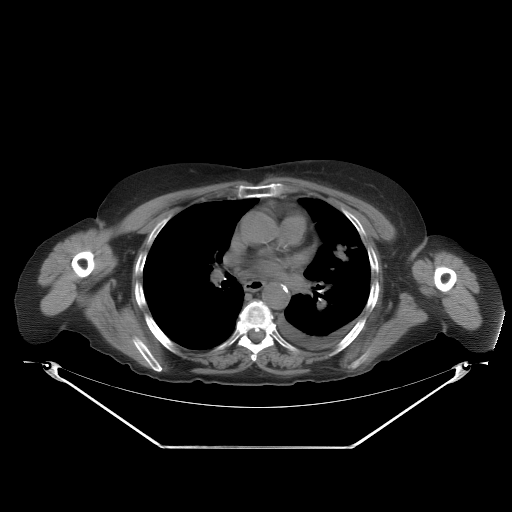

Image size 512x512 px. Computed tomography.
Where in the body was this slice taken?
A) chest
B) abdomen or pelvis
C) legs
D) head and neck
A) chest
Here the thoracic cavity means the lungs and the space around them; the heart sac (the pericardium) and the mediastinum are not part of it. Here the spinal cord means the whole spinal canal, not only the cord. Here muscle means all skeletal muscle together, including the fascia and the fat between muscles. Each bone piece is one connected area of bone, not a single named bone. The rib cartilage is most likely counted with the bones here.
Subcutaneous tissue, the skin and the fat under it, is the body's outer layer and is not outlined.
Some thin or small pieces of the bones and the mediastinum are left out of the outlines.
Outlined structures:
left arm: 427 232; 428 234; 441 234; 454 239; 468 251; 482 258; 490 266; 493 271; 501 290; 503 303; 504 304; 504 312; 494 346; 491 350; 482 353; 476 353; 468 350; 456 339; 448 337; 442 333; 418 304; 405 273; 405 270; 414 257
spinal cord: 251 329; 253 329; 256 332; 258 332; 260 330; 262 330; 264 332; 264 336; 263 337; 263 338; 261 340; 260 340; 259 341; 258 341; 257 342; 255 342; 254 341; 253 341; 248 336; 248 333; 249 332; 249 331
torso: 320 158; 345 160; 383 173; 414 200; 426 233; 404 273; 417 304; 441 332; 433 340; 363 374; 340 380; 225 385; 199 380; 167 382; 135 373; 128 365; 92 348; 79 333; 67 330; 117 255; 94 216; 120 179; 173 162; 248 168
mediastinum 1: 229 247; 227 252; 229 260; 235 269; 242 274; 266 278; 289 278; 297 276; 303 271; 301 279; 297 282; 298 291; 290 298; 283 315; 278 315; 274 319; 270 308; 261 299; 253 299; 243 306; 243 287; 230 270; 226 259; 226 252
mediastinum 2: 282 194; 301 194; 302 195; 309 196; 303 196; 298 200; 298 202; 305 209; 293 203; 275 203; 274 202; 270 202; 269 203; 264 203; 263 204; 260 204; 254 207; 252 207; 258 202; 259 200; 258 198; 265 198; 266 197; 278 197
pericardium: 270 203; 293 204; 298 206; 305 210; 311 218; 311 220; 313 221; 315 231; 317 233; 320 243; 311 261; 301 273; 297 275; 289 277; 266 277; 261 275; 242 273; 236 269; 236 267; 232 263; 228 255; 232 236; 242 216; 252 208
thoracic cavity 1: 247 198; 257 198; 258 200; 236 223; 229 246; 225 252; 229 270; 243 291; 242 307; 237 315; 234 329; 225 340; 211 348; 194 349; 182 346; 173 341; 161 329; 148 307; 143 288; 143 271; 148 252; 168 221; 187 207; 209 200
thoracic cavity 2: 303 197; 321 199; 339 210; 347 218; 366 249; 370 268; 368 296; 356 322; 335 345; 317 350; 297 347; 286 340; 274 321; 278 316; 284 315; 291 298; 298 293; 298 282; 302 279; 304 271; 314 258; 321 243; 316 223; 299 202
bones 1: 253 300; 261 300; 269 308; 280 335; 286 341; 295 346; 298 351; 291 351; 276 342; 274 345; 260 350; 257 353; 256 359; 253 361; 250 357; 252 352; 248 348; 235 343; 222 350; 213 350; 232 334; 236 326; 238 315; 242 308 with a hole at 251 329; 253 329; 256 332; 258 332; 260 330; 262 330; 264 332; 264 336; 263 337; 263 338; 261 340; 260 340; 259 341; 258 341; 257 342; 255 342; 254 341; 253 341; 248 336; 248 333; 249 332; 249 331
bones 2: 276 182; 280 182; 284 185; 284 190; 283 192; 280 195; 278 196; 266 196; 265 197; 247 197; 246 198; 237 198; 236 197; 236 195; 235 194; 236 187; 240 184; 242 184; 243 185; 265 185; 266 184; 269 184; 270 183; 275 183
bones 3: 84 250; 89 250; 93 253; 93 255; 94 256; 93 257; 94 258; 94 268; 92 270; 92 271; 87 276; 86 276; 85 277; 79 277; 74 272; 74 271; 71 266; 71 261; 72 260; 73 257; 78 252; 80 252; 81 251; 83 251
bones 4: 437 266; 445 266; 446 267; 448 267; 449 268; 452 269; 455 272; 455 273; 456 274; 456 281; 455 282; 455 283; 449 290; 448 290; 445 292; 439 290; 436 287; 436 286; 434 283; 434 280; 433 279; 433 276; 434 275; 434 270
bones 5: 146 313; 148 313; 151 315; 154 321; 157 324; 157 325; 160 328; 160 329; 173 342; 174 342; 176 344; 176 347; 179 351; 180 355; 171 352; 168 349; 167 349; 154 336; 154 335; 149 329; 145 321; 145 319; 144 318; 144 314
bones 6: 363 317; 365 317; 366 318; 366 320; 365 321; 363 328; 360 331; 357 336; 341 351; 332 356; 329 356; 328 354; 335 348; 336 345; 340 341; 340 340; 341 340; 346 335; 346 334; 348 333; 348 332; 354 326; 357 321; 359 319
bones 7: 134 337; 137 337; 139 338; 146 345; 146 346; 151 352; 153 356; 158 361; 158 362; 162 367; 162 370; 161 371; 155 371; 153 370; 149 366; 148 363; 144 359; 144 358; 141 355; 141 354; 135 346; 133 342; 133 338
bones 8: 376 280; 378 282; 378 284; 379 285; 379 291; 378 292; 378 297; 377 298; 376 303; 371 311; 365 310; 364 308; 365 307; 365 305; 367 302; 367 300; 369 296; 369 292; 370 291; 370 286; 371 285; 371 283; 372 283
bones 9: 341 207; 344 207; 348 211; 349 211; 351 213; 352 213; 359 220; 359 221; 361 223; 361 224; 365 231; 365 233; 366 234; 366 236; 363 240; 362 240; 358 231; 356 229; 356 228; 354 226; 354 225; 340 210; 340 208
bones 10: 169 214; 171 214; 172 216; 167 221; 167 222; 159 231; 159 232; 153 240; 150 247; 148 246; 147 245; 147 239; 148 238; 148 236; 149 234; 151 232; 151 231; 153 229; 155 225; 160 220; 166 217
bones 11: 136 281; 137 281; 142 284; 142 288; 143 289; 143 294; 144 295; 144 297; 145 298; 145 300; 146 301; 146 304; 147 305; 147 306; 144 306; 141 308; 140 307; 139 307; 139 306; 136 301; 136 298; 135 297; 135 283; 136 282
bones 12: 369 246; 370 246; 374 250; 374 251; 376 254; 376 257; 377 258; 377 261; 378 262; 378 271; 376 273; 371 273; 371 268; 370 267; 370 263; 369 262; 369 258; 368 257; 368 254; 367 253; 367 249; 366 248
bones 13: 145 251; 147 253; 147 255; 146 256; 146 258; 145 259; 145 262; 143 266; 143 270; 142 271; 142 274; 140 274; 139 275; 136 275; 134 271; 135 269; 135 264; 137 261; 137 259; 138 258; 138 256; 139 254
bones 14: 368 350; 369 350; 369 354; 367 356; 367 357; 365 359; 365 360; 364 361; 363 361; 357 367; 356 367; 353 369; 352 368; 350 368; 349 367; 348 367; 348 366; 354 360; 355 360; 357 358; 358 358; 362 354; 363 354
right arm: 89 216; 94 217; 116 255; 97 288; 67 329; 61 331; 54 339; 50 341; 37 345; 30 344; 26 342; 20 336; 16 325; 16 316; 13 304; 13 297; 19 275; 25 263; 33 253; 35 248; 41 242; 54 233; 77 222; 83 218
muscle: 271 175; 346 192; 385 215; 397 231; 391 242; 375 241; 383 264; 385 303; 389 299; 396 303; 400 292; 412 290; 411 268; 427 254; 446 250; 462 258; 480 286; 478 328; 468 330; 445 313; 432 312; 368 364; 351 371; 314 367; 287 377; 253 364; 234 373; 204 374; 185 365; 162 371; 137 336; 132 342; 150 368; 141 365; 108 343; 75 303; 54 316; 40 311; 44 291; 37 278; 58 242; 78 231; 114 225; 137 206; 169 192; 245 180; 253 184; 238 184; 235 197; 199 201; 169 213; 148 234; 149 249; 138 254; 133 270; 142 275; 142 283; 134 283; 134 297; 139 308; 149 310; 143 314; 148 329; 179 356; 177 344; 215 352; 235 344; 248 349; 253 362; 260 351; 276 343; 291 352; 335 346; 327 355; 338 354; 364 328; 367 318; 358 319; 363 310; 371 312; 377 303; 380 285; 376 279; 371 282; 371 274; 379 271; 377 254; 365 246; 362 223; 344 206; 338 209; 318 197; 283 193; 285 185; 280 181; 257 184; inner edges: 130 233; 135 233; 139 235; 144 235; 145 236; 137 249; 133 259; 131 272; 130 273; 129 296; 126 298; 124 295; 124 292; 119 288; 120 284; 118 280; 112 275; 115 272; 115 270; 119 264; 120 258; 115 252; 111 243; 114 239, then 84 250; 89 250; 93 253; 93 255; 94 256; 93 257; 94 258; 94 268; 92 270; 92 271; 87 276; 86 276; 85 277; 79 277; 74 272; 74 271; 71 266; 71 261; 72 260; 73 257; 78 252; 80 252; 81 251; 83 251, then 437 266; 445 266; 446 267; 448 267; 449 268; 452 269; 455 272; 455 273; 456 274; 456 281; 455 282; 455 283; 449 290; 448 290; 445 292; 439 290; 436 287; 436 286; 434 283; 434 280; 433 279; 433 276; 434 275; 434 270, then 368 350; 369 350; 369 354; 367 356; 367 357; 365 359; 365 360; 364 361; 363 361; 357 367; 356 367; 353 369; 352 368; 350 368; 349 367; 348 367; 348 366; 354 360; 355 360; 357 358; 358 358; 362 354; 363 354